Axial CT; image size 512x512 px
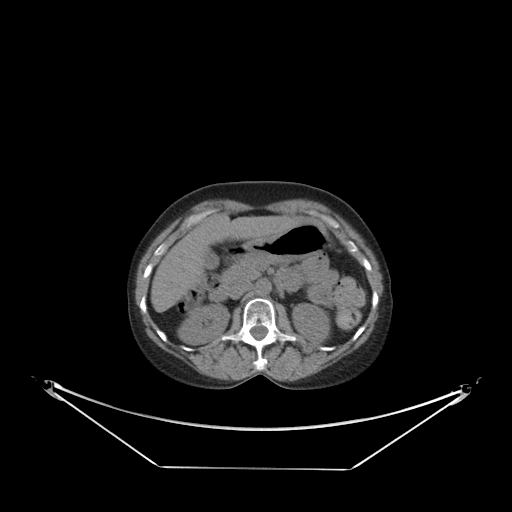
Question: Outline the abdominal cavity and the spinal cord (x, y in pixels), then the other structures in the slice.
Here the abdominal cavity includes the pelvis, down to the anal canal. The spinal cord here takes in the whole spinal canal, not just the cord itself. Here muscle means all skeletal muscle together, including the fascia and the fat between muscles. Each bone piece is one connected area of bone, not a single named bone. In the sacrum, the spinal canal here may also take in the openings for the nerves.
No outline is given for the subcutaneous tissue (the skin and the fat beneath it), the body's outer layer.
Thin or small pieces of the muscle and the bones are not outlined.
Answer: The abdominal cavity is outlined by [[252,210],[300,213],[322,220],[365,269],[371,307],[349,339],[335,346],[307,341],[295,333],[281,303],[274,305],[260,296],[249,299],[242,309],[238,306],[233,310],[224,334],[195,348],[170,340],[154,321],[147,306],[150,275],[168,247],[213,213]]. The spinal cord is outlined by [[255,326],[263,326],[264,327],[265,327],[267,329],[267,332],[266,333],[266,334],[261,339],[256,339],[251,334],[251,333],[250,332],[250,330],[253,327],[254,327]]. The torso is outlined by [[240,180],[295,181],[325,189],[351,205],[379,242],[392,277],[393,315],[379,357],[358,377],[327,388],[292,390],[257,375],[229,389],[204,389],[166,377],[150,365],[139,351],[130,331],[125,296],[126,274],[135,247],[160,213],[182,195],[207,184]]. The muscle appears in 2 outlined pieces: piece 1: [[212,199],[230,199],[231,200],[235,200],[239,202],[242,202],[243,203],[246,203],[251,205],[265,205],[273,202],[277,202],[278,201],[282,201],[283,200],[289,200],[290,199],[307,199],[308,200],[312,200],[313,201],[316,201],[322,204],[324,204],[343,218],[360,235],[361,235],[361,236],[365,240],[365,243],[373,252],[379,264],[379,270],[382,274],[383,292],[381,297],[381,302],[380,303],[380,308],[379,309],[379,316],[374,324],[374,328],[373,330],[366,341],[354,351],[344,356],[341,359],[338,360],[326,368],[319,371],[317,373],[312,374],[309,376],[307,376],[294,381],[281,381],[270,376],[263,371],[256,371],[250,375],[238,380],[224,380],[223,379],[213,378],[199,373],[179,358],[165,351],[158,346],[147,335],[145,331],[145,326],[141,319],[141,317],[139,314],[138,308],[135,302],[135,286],[136,285],[135,283],[136,282],[136,272],[137,271],[137,268],[138,267],[139,262],[152,241],[173,221],[174,221],[178,217],[183,215],[192,206],[200,202],[202,202],[206,200],[211,200]]; inner edge: [[207,210],[209,211],[198,222],[216,212],[234,214],[252,210],[267,210],[292,215],[300,213],[318,219],[321,218],[318,213],[334,219],[339,227],[327,226],[343,244],[351,240],[357,246],[358,250],[351,254],[360,264],[364,257],[371,266],[371,270],[366,269],[365,274],[371,290],[375,291],[378,296],[378,302],[374,309],[370,308],[362,324],[365,326],[364,330],[353,341],[351,337],[336,345],[332,350],[321,350],[319,344],[307,341],[295,333],[286,308],[281,303],[275,303],[275,323],[277,328],[283,333],[294,335],[296,339],[294,341],[286,340],[282,343],[276,341],[266,345],[261,353],[267,360],[262,370],[257,370],[253,364],[257,358],[256,349],[242,341],[222,340],[218,337],[205,345],[196,347],[193,351],[183,349],[180,344],[168,338],[165,342],[156,332],[159,327],[149,311],[147,309],[143,313],[139,307],[141,298],[147,295],[150,281],[149,275],[143,277],[144,269],[149,263],[155,265],[160,259],[160,255],[156,256],[153,253],[160,244],[171,245],[190,227],[181,225],[187,217]]; piece 2: [[238,307],[240,307],[242,310],[241,311],[241,326],[240,327],[240,328],[236,332],[235,332],[234,333],[231,333],[230,334],[225,334],[229,330],[229,329],[231,327],[231,325],[232,324],[232,320],[233,319],[233,313],[234,312],[234,310]]. The bones appear in 9 outlined pieces: piece 1: [[256,297],[269,300],[275,309],[277,328],[296,337],[294,341],[286,340],[282,343],[276,341],[266,345],[261,353],[267,360],[262,370],[257,370],[253,364],[257,358],[253,346],[242,341],[220,338],[223,335],[234,334],[241,328],[243,308],[249,300]]; inner edge: [[255,326],[263,326],[264,327],[265,327],[267,329],[267,332],[266,333],[266,334],[261,339],[256,339],[251,334],[251,333],[250,332],[250,330],[253,327],[254,327]]; piece 2: [[207,210],[209,210],[209,211],[207,213],[206,213],[204,215],[203,215],[197,221],[196,221],[191,225],[190,225],[189,226],[182,226],[181,225],[182,224],[183,221],[190,215],[191,215],[192,214],[197,214],[198,213],[201,213],[202,212],[204,212]]; piece 3: [[317,213],[318,213],[319,214],[323,214],[324,215],[326,215],[327,216],[329,216],[330,217],[331,217],[333,219],[334,219],[339,224],[339,227],[338,227],[337,228],[335,228],[334,227],[332,227],[331,226],[330,226],[329,225],[328,225],[317,214]]; piece 4: [[348,240],[351,240],[357,246],[357,247],[358,248],[358,250],[357,251],[356,251],[355,252],[353,252],[352,253],[351,253],[350,252],[349,252],[348,251],[348,250],[347,249],[347,248],[346,247],[346,246],[344,244],[344,243],[346,241],[347,241]]; piece 5: [[162,243],[166,243],[167,244],[167,245],[168,246],[167,247],[167,248],[165,250],[165,251],[161,255],[157,255],[156,256],[155,255],[154,255],[154,254],[153,253],[154,252],[154,251],[155,250],[155,249],[160,244],[161,244]]; piece 6: [[149,263],[152,263],[153,264],[153,267],[152,268],[152,270],[151,271],[151,273],[147,277],[146,277],[145,278],[144,278],[143,277],[143,273],[144,272],[144,269],[146,267],[146,266]]; piece 7: [[362,325],[364,325],[365,326],[365,328],[364,329],[364,330],[358,336],[358,337],[355,340],[354,340],[353,341],[352,340],[352,337],[353,336],[353,335],[355,333],[355,332],[358,329],[358,328],[360,326],[361,326]]; piece 8: [[363,257],[364,257],[365,258],[366,258],[368,260],[368,261],[369,262],[369,263],[370,264],[370,265],[371,266],[371,270],[370,271],[369,271],[368,270],[367,270],[362,265],[362,264],[361,263],[361,260],[362,259],[362,258]]; piece 9: [[157,328],[159,328],[166,335],[166,336],[167,337],[167,341],[166,342],[165,342],[158,335],[158,334],[156,332],[156,329]].